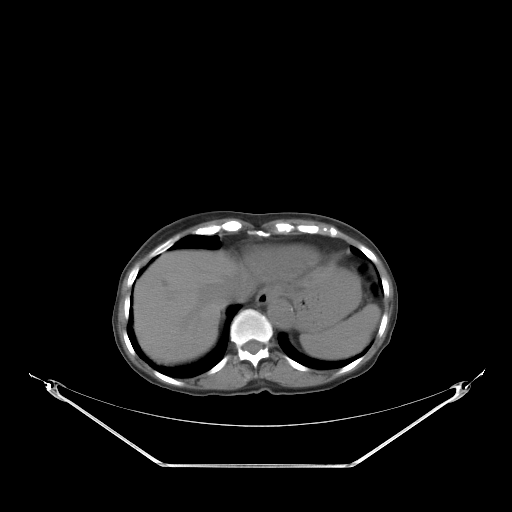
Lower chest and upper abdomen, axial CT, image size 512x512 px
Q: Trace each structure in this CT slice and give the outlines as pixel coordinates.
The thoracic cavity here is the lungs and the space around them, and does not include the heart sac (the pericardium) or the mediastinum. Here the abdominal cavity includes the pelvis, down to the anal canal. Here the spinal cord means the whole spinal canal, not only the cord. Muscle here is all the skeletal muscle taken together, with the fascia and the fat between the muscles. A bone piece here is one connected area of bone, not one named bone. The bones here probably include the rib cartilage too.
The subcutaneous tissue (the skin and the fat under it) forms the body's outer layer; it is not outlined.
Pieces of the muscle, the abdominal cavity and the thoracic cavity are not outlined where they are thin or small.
A: {"spinal_cord":[[[250,340],[256,340],[257,341],[258,341],[259,342],[260,342],[261,343],[262,343],[263,344],[263,346],[260,349],[259,349],[255,353],[251,353],[249,351],[248,351],[247,350],[246,350],[243,348],[243,345],[246,342],[247,342]]],"muscle":[[[377,256],[391,280],[393,289],[392,314],[386,336],[381,345],[371,358],[356,370],[331,381],[305,387],[286,387],[266,379],[252,380],[240,388],[229,390],[180,387],[184,385],[184,382],[178,379],[191,378],[203,373],[212,375],[223,368],[231,357],[226,353],[230,342],[234,344],[237,359],[239,361],[248,361],[256,368],[262,359],[270,356],[269,344],[272,338],[284,353],[281,355],[282,357],[298,371],[307,372],[310,368],[318,370],[338,369],[334,373],[335,375],[341,375],[350,371],[365,357],[365,353],[376,336],[380,338],[383,335],[389,319],[388,313],[384,311],[384,298],[386,299],[390,295],[390,287],[388,280],[384,276],[380,277],[374,265],[378,263]],[[152,249],[148,255],[150,259],[141,268],[139,264],[137,263],[135,264],[131,268],[127,276],[126,286],[128,288],[131,288],[131,291],[130,294],[127,294],[125,296],[123,302],[124,318],[127,320],[127,324],[126,329],[122,331],[122,337],[130,354],[133,356],[137,355],[143,360],[153,369],[152,370],[153,374],[161,381],[149,375],[131,361],[122,346],[117,327],[118,306],[123,280],[127,272],[135,262]],[[221,218],[236,218],[244,221],[247,221],[253,224],[255,226],[259,226],[261,224],[271,220],[275,220],[276,219],[290,219],[291,218],[309,219],[310,220],[319,221],[320,222],[323,222],[332,225],[327,225],[326,224],[319,225],[313,223],[299,223],[298,224],[293,224],[290,222],[287,222],[286,221],[278,221],[275,222],[273,225],[274,227],[274,233],[272,233],[269,230],[264,230],[260,228],[257,229],[248,229],[246,231],[238,231],[242,228],[243,226],[242,223],[238,219],[231,218],[221,223],[211,223],[207,225],[197,227],[194,229],[190,234],[181,237],[178,233],[176,233],[184,229],[186,229],[191,226],[196,225],[205,221],[209,221],[214,219],[220,219]],[[342,232],[343,232],[344,233],[345,233],[346,234],[347,234],[348,235],[355,238],[357,240],[360,241],[364,244],[363,244],[362,243],[360,243],[356,246],[350,244],[344,239],[342,239],[341,238],[340,238],[343,235]]],"thoracic_cavity":[[[132,286],[133,334],[141,351],[156,365],[168,368],[179,368],[203,360],[215,350],[222,341],[227,311],[230,306],[234,305],[238,305],[239,309],[233,316],[229,325],[229,342],[225,354],[205,372],[191,377],[176,378],[154,369],[136,353],[127,332]],[[280,333],[284,333],[286,335],[289,344],[298,353],[308,358],[320,361],[335,362],[340,360],[345,360],[355,356],[369,346],[369,347],[364,354],[362,354],[339,368],[318,369],[304,365],[287,355],[280,348],[276,341],[276,338]],[[191,234],[193,235],[203,235],[204,236],[210,236],[211,235],[214,235],[216,234],[219,238],[219,241],[220,242],[220,246],[217,248],[208,248],[207,247],[202,247],[201,248],[173,248],[172,249],[169,249],[181,238],[185,236],[190,235]],[[351,246],[354,246],[355,247],[356,247],[373,264],[373,265],[375,267],[375,269],[375,268],[369,262],[368,262],[367,261],[364,260],[361,257],[360,257],[358,255],[356,255],[355,254],[352,253],[352,252],[350,250],[350,247]],[[156,256],[157,256],[148,265],[148,266],[139,275],[139,276],[136,279],[136,278],[137,277],[137,276],[138,275],[138,274],[139,273],[139,271],[152,258],[153,258],[154,257],[155,257]]],"torso":[[[209,210],[317,213],[341,220],[365,234],[386,259],[398,291],[395,327],[388,345],[373,366],[363,374],[331,389],[277,395],[264,390],[245,395],[194,396],[152,384],[137,374],[119,352],[112,332],[111,316],[119,276],[136,250],[156,230],[180,217]]],"bones":[{"outer":[[249,308],[256,310],[264,315],[270,322],[273,330],[273,335],[268,344],[269,347],[269,356],[265,358],[262,358],[258,362],[256,367],[254,367],[248,360],[239,360],[238,359],[235,344],[230,341],[230,336],[229,335],[230,325],[234,316],[241,310]],"hole":[[250,340],[256,340],[257,341],[258,341],[259,342],[260,342],[261,343],[262,343],[263,344],[263,346],[260,349],[259,349],[255,353],[251,353],[249,351],[248,351],[247,350],[246,350],[243,348],[243,345],[246,342],[247,342]]},[[278,222],[286,222],[293,225],[298,225],[299,224],[313,224],[319,226],[322,226],[323,225],[334,226],[341,232],[342,235],[340,237],[332,237],[327,234],[299,232],[296,229],[292,230],[289,233],[275,233],[275,227],[274,225],[275,223]],[[231,219],[238,220],[242,225],[241,228],[235,232],[230,232],[229,231],[226,231],[222,229],[218,232],[214,234],[211,234],[210,235],[204,235],[203,234],[193,234],[192,233],[192,232],[197,228],[203,227],[204,226],[207,226],[211,224],[221,224]],[[176,234],[178,234],[180,236],[180,238],[177,241],[176,241],[168,249],[167,249],[165,251],[151,258],[149,257],[149,255],[150,253],[157,246],[158,246],[160,244],[161,244],[163,242],[164,242],[166,240],[167,240],[169,238],[172,237]],[[153,370],[156,370],[164,375],[166,375],[167,376],[169,376],[170,377],[175,378],[183,382],[183,385],[182,386],[176,386],[175,385],[173,385],[172,384],[170,384],[169,383],[164,382],[162,381],[159,378],[158,378],[154,374],[153,372]],[[360,244],[362,244],[363,245],[364,245],[365,246],[366,246],[368,248],[369,248],[375,254],[375,255],[376,256],[376,257],[377,258],[377,263],[376,264],[375,264],[374,263],[373,263],[357,247],[357,246],[358,245],[359,245]],[[362,355],[364,355],[364,357],[353,368],[352,368],[350,370],[349,370],[346,372],[344,372],[341,374],[335,374],[335,373],[340,368],[341,368],[343,366],[345,366],[347,364],[350,363],[352,361],[355,360],[357,358],[360,357]],[[226,354],[228,354],[230,356],[230,357],[227,360],[227,361],[225,363],[225,364],[223,366],[223,367],[222,367],[219,370],[218,370],[216,372],[215,372],[212,374],[207,374],[206,373],[206,372],[212,367],[213,367],[218,362],[219,362]],[[283,354],[285,354],[291,359],[296,361],[298,363],[304,366],[306,366],[308,367],[309,368],[309,370],[307,371],[301,371],[300,370],[298,370],[294,368],[291,365],[290,365],[289,363],[283,357],[282,355]],[[137,264],[138,265],[139,265],[139,267],[140,268],[140,269],[138,271],[138,273],[137,274],[131,287],[128,287],[127,286],[127,280],[128,279],[128,276],[129,275],[129,274],[130,273],[130,271],[132,269],[132,268],[135,265],[136,265]],[[384,312],[386,312],[387,313],[387,316],[388,317],[388,319],[386,323],[386,326],[385,327],[385,329],[382,335],[380,337],[378,337],[377,336],[377,332],[378,331],[378,328],[380,324],[380,321],[381,320],[382,315]],[[381,277],[384,277],[387,280],[387,281],[388,282],[388,286],[389,287],[389,295],[386,298],[385,298],[384,297],[384,295],[383,294],[383,290],[382,289],[382,285],[381,284]],[[124,330],[126,330],[126,332],[127,333],[128,338],[130,341],[130,343],[131,344],[131,345],[132,346],[136,355],[133,355],[132,354],[131,354],[131,353],[129,351],[129,350],[125,343],[125,341],[124,340],[124,338],[123,337],[123,331]],[[258,229],[260,229],[261,230],[263,230],[264,231],[269,231],[271,233],[271,234],[269,236],[260,236],[259,235],[256,235],[255,234],[248,234],[247,233],[247,231],[248,230],[257,230]],[[127,295],[130,295],[130,305],[129,306],[129,314],[128,315],[128,318],[127,319],[126,319],[125,318],[125,313],[124,312],[124,302],[125,301],[125,298],[126,297],[126,296]]],"abdominal_cavity":[[[220,247],[230,249],[232,256],[255,284],[256,292],[246,302],[239,305],[230,305],[227,308],[221,341],[217,347],[203,359],[195,363],[182,365],[179,367],[168,367],[156,364],[142,351],[134,334],[134,282],[160,254],[166,251],[173,249],[217,249]],[[342,254],[358,256],[374,268],[383,296],[383,312],[379,321],[376,335],[370,345],[355,355],[345,359],[335,361],[314,359],[298,352],[289,342],[289,333],[296,321],[298,306],[297,302],[289,292],[288,287],[306,285],[324,278],[333,269],[335,257]]],"pericardium":[[[295,236],[308,236],[320,240],[332,250],[334,254],[334,264],[330,272],[324,277],[306,284],[299,284],[291,286],[262,286],[261,287],[257,286],[252,278],[240,265],[231,253],[231,249],[230,248],[234,245],[233,244],[241,239],[286,238]]],"mediastinum":[[[257,287],[287,287],[288,292],[296,302],[297,313],[293,326],[288,333],[288,340],[288,337],[284,332],[280,332],[275,339],[273,337],[274,330],[271,322],[264,314],[258,310],[249,307],[241,309],[237,313],[240,309],[240,305],[250,300],[257,292]],[[236,232],[246,232],[248,235],[260,237],[261,237],[269,237],[270,236],[272,234],[300,233],[327,235],[332,238],[339,238],[347,242],[351,245],[349,250],[353,254],[342,253],[335,256],[334,251],[324,242],[308,235],[286,237],[241,238],[229,247],[222,247],[220,238],[217,234]]]}